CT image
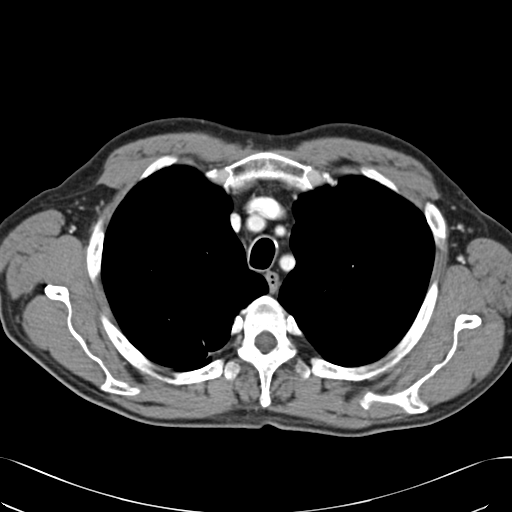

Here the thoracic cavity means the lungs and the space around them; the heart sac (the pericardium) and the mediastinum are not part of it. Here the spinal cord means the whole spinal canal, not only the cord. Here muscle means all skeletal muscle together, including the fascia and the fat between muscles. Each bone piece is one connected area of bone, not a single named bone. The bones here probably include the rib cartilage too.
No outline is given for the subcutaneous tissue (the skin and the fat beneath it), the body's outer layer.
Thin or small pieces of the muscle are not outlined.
The bones appear in 10 outlined pieces: piece 1: 266,294 276,299 294,318 303,333 303,337 295,339 298,353 278,366 273,372 269,385 271,402 266,407 262,407 259,401 261,387 258,371 251,363 237,356 233,345 234,338 230,332 234,319 240,310 256,298 with a hole at 264,331 266,331 267,332 268,332 269,333 270,333 274,337 274,338 275,339 275,345 268,352 267,352 266,353 264,353 263,352 262,352 258,348 258,347 256,345 256,337 260,333 261,333 262,332 263,332; piece 2: 263,150 276,151 302,164 309,165 316,170 328,172 332,177 337,179 337,184 334,186 324,184 302,192 277,179 258,178 252,182 248,182 226,192 221,186 211,182 204,175 204,172 214,168 221,169 252,153; piece 3: 435,279 438,282 437,298 424,331 413,347 385,371 367,379 354,381 324,378 313,374 305,379 295,370 294,366 300,359 307,362 311,356 320,357 328,362 344,367 357,367 379,360 407,332 419,311 429,285; piece 4: 101,313 105,314 140,352 156,364 158,367 154,369 163,375 170,376 172,371 182,372 198,369 220,357 233,359 239,363 240,371 232,380 228,380 222,375 197,383 179,385 160,380 142,372 122,356 102,325; piece 5: 461,313 477,314 481,323 458,332 456,349 450,359 420,385 418,395 429,407 427,411 409,414 397,405 379,401 372,402 368,409 361,406 359,402 367,391 387,395 401,391 441,362 452,345 454,322; piece 6: 47,284 62,285 67,288 73,328 114,378 139,388 139,393 122,395 106,392 99,388 105,380 105,373 100,365 86,354 70,332 67,325 68,310 66,305 60,300 50,299 45,294 44,287; piece 7: 101,216 103,217 103,229 104,230 103,246 101,252 101,269 100,270 99,276 96,278 96,281 93,283 89,277 88,271 87,270 87,262 86,261 87,246 89,241 89,237 92,231 92,227 96,222 97,219; piece 8: 426,201 429,201 435,204 440,210 445,220 445,223 446,224 445,234 446,236 443,242 443,245 441,248 440,247 437,247 435,245 434,239 432,235 432,232 428,225 428,223 426,220 426,218 423,212 424,204; piece 9: 163,155 174,155 175,156 177,156 179,159 180,163 177,163 176,164 172,164 169,166 163,167 153,172 151,174 143,178 141,180 138,181 137,179 138,177 143,172 143,171 152,162 153,162 160,156 162,156; piece 10: 361,166 366,166 367,167 371,167 372,168 374,168 377,171 391,180 396,185 400,191 401,194 398,194 396,193 391,189 388,188 386,186 379,183 373,179 371,179 364,175 358,174 360,172 360,169 359,167. The mediastinum is outlined by 258,179 277,180 301,192 292,205 292,213 295,221 289,238 289,245 295,259 295,265 283,280 279,288 277,298 267,294 268,286 263,276 249,269 242,243 230,223 230,214 233,203 231,197 227,193. The torso is outlined by 174,116 272,133 328,122 352,122 384,130 422,150 481,210 511,231 511,364 483,394 444,419 361,437 284,430 272,425 258,429 150,425 92,403 66,387 3,330 0,222 31,197 58,185 120,132 149,120. The spinal cord is outlined by 264,331 266,331 267,332 268,332 269,333 270,333 274,337 274,338 275,339 275,345 268,352 267,352 266,353 264,353 263,352 262,352 258,348 258,347 256,345 256,337 260,333 261,333 262,332 263,332. The thoracic cavity appears in 2 outlined pieces: piece 1: 177,164 196,168 230,197 229,223 241,243 246,265 262,276 267,286 265,294 253,299 235,315 229,332 231,338 213,354 213,359 201,367 182,371 150,360 126,337 112,314 100,276 105,232 120,202 138,182; piece 2: 347,175 364,176 410,201 423,213 435,246 429,284 410,326 385,355 357,366 344,366 321,357 306,340 295,318 277,299 284,280 296,265 290,245 296,221 295,201 304,192 324,185 334,187 338,184 336,178. The muscle is outlined by 197,130 263,148 290,148 321,136 376,143 419,160 440,197 436,204 426,200 422,211 374,167 361,165 356,175 334,177 272,149 203,172 177,155 160,155 137,177 105,231 104,217 96,219 86,246 88,277 93,284 100,277 116,323 103,312 99,320 133,367 176,386 221,376 232,381 240,363 214,354 233,338 236,356 257,371 262,408 272,402 274,372 299,353 297,338 319,355 294,364 302,379 358,382 381,374 414,347 432,317 439,282 430,279 435,248 441,249 447,236 446,220 449,264 465,264 466,246 478,237 511,252 511,316 493,369 430,408 420,398 421,385 456,351 459,332 482,323 477,313 461,312 441,361 401,390 367,390 358,402 365,410 379,402 428,415 350,429 264,408 205,418 144,416 88,389 32,345 0,278 3,239 27,217 50,208 64,215 64,233 85,239 96,207 114,192 95,184 114,149 155,134, around a hole outlined by 47,284 62,285 67,288 73,328 114,378 139,388 139,393 122,395 106,392 99,388 105,380 105,373 100,365 86,354 70,332 67,325 68,310 66,305 60,300 50,299 45,294 44,287.